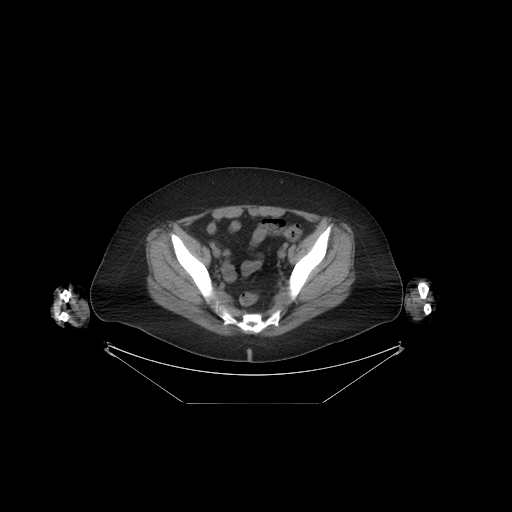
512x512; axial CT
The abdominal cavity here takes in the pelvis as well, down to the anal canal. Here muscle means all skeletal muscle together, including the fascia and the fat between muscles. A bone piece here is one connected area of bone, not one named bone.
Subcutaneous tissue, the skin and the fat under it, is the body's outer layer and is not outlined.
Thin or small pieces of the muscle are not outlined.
The bones appear in 7 outlined pieces: piece 1: 329 224; 332 224; 332 226; 328 238; 328 243; 327 244; 327 248; 326 249; 325 255; 322 260; 309 273; 304 284; 300 289; 295 299; 294 300; 291 300; 288 293; 288 279; 292 271; 292 269; 296 262; 312 247; 318 236; piece 2: 171 233; 174 233; 177 235; 182 240; 183 243; 188 250; 194 256; 201 261; 207 268; 207 270; 211 278; 212 286; 213 287; 213 292; 214 293; 213 297; 208 303; 206 302; 191 276; 179 263; 173 248; 173 245; 171 240; piece 3: 216 302; 220 306; 223 306; 235 318; 239 320; 242 315; 246 312; 261 313; 262 317; 265 319; 273 312; 279 309; 280 318; 278 321; 278 325; 270 324; 257 333; 249 330; 244 331; 235 324; 225 325; 223 323; 224 321; 214 309; piece 4: 421 281; 423 281; 424 282; 425 282; 428 285; 428 286; 429 287; 429 289; 428 290; 427 295; 426 296; 426 297; 424 299; 423 299; 420 297; 420 295; 419 294; 419 292; 418 291; 418 289; 417 288; 417 285; 418 284; 418 283; piece 5: 65 289; 66 290; 68 290; 70 292; 70 296; 69 297; 69 298; 68 299; 68 300; 67 301; 65 301; 63 299; 61 299; 60 298; 60 297; 59 296; 59 294; 60 293; 61 293; 63 291; 63 290; 64 290; piece 6: 62 311; 63 311; 64 312; 65 312; 66 313; 67 313; 68 314; 68 319; 67 320; 67 321; 63 321; 62 320; 60 320; 59 319; 58 319; 59 318; 59 315; 60 314; 60 313; piece 7: 426 303; 428 303; 430 305; 430 306; 431 307; 431 311; 430 312; 430 313; 429 313; 428 314; 425 314; 425 313; 424 312; 424 305. The muscle appears in 3 outlined pieces: piece 1: 241 204; 270 205; 271 206; 279 206; 280 207; 293 208; 294 209; 298 209; 299 210; 302 210; 303 211; 306 211; 311 213; 315 213; 319 215; 332 216; 335 218; 339 218; 344 222; 347 223; 350 226; 353 231; 353 233; 354 234; 354 241; 355 242; 355 253; 354 254; 354 270; 355 271; 355 279; 351 285; 351 289; 350 290; 350 293; 349 295; 338 305; 331 308; 327 311; 323 312; 317 316; 315 316; 311 318; 299 326; 285 333; 283 333; 277 336; 261 336; 258 334; 221 335; 220 334; 212 332; 190 321; 188 319; 176 313; 174 313; 172 311; 170 311; 157 304; 150 297; 148 293; 148 291; 147 290; 147 286; 146 285; 146 278; 148 274; 148 267; 147 266; 147 261; 145 256; 145 244; 146 243; 146 236; 148 233; 152 229; 158 226; 160 223; 164 222; 166 220; 176 220; 186 216; 189 216; 190 215; 193 215; 194 214; 200 213; 208 208; 215 208; 216 207; 220 207; 221 206; 229 206; 230 205; 240 205, around a hole outlined by 245 211; 251 216; 273 217; 292 213; 314 223; 310 233; 288 248; 286 259; 291 266; 332 224; 325 255; 309 273; 295 299; 290 299; 286 283; 261 312; 265 319; 279 309; 278 325; 270 324; 257 333; 223 323; 214 309; 216 302; 239 320; 246 312; 213 282; 214 295; 206 302; 179 263; 171 240; 171 233; 177 235; 207 268; 210 250; 186 228; 207 215; 215 219; 233 218; piece 2: 69 290; 76 294; 82 300; 83 300; 88 306; 88 318; 79 325; 73 325; 69 322; 68 321; 69 319; 69 314; 63 310; 59 313; 57 319; 54 317; 54 314; 52 309; 55 300; 58 296; 61 300; 67 302; 71 296; 71 292; piece 3: 420 280; 416 285; 419 297; 424 300; 427 297; 429 290; 430 290; 432 296; 432 301; 431 306; 428 302; 426 302; 423 305; 423 312; 425 315; 420 319; 416 319; 412 316; 411 313; 406 307; 405 297; 408 294; 411 286; 415 282. The right arm is outlined by 68 281; 77 282; 82 285; 85 290; 85 292; 87 294; 87 298; 88 299; 88 303; 89 304; 90 321; 87 328; 83 330; 71 330; 65 327; 64 328; 63 327; 57 326; 50 316; 48 311; 48 305; 52 298; 53 291; 56 287. The torso is outlined by 225 166; 258 166; 285 170; 327 182; 357 199; 383 230; 399 271; 404 296; 398 316; 359 335; 298 357; 251 363; 199 356; 154 338; 139 329; 121 323; 102 321; 92 310; 90 312; 88 298; 90 284; 122 216; 136 202; 174 179. The abdominal cavity is outlined by 245 211; 251 216; 273 217; 292 213; 314 223; 314 229; 310 233; 288 248; 286 259; 293 266; 287 283; 261 312; 248 312; 236 307; 233 297; 212 281; 208 270; 211 262; 210 250; 186 230; 194 221; 207 215; 215 219; 233 218. The left arm is outlined by 420 275; 428 278; 435 285; 439 294; 439 299; 441 305; 439 309; 433 315; 431 319; 427 323; 422 325; 417 325; 412 323; 408 319; 405 310; 403 308; 403 301; 405 296; 404 288; 406 287; 408 281; 413 277; 415 276; 419 276.